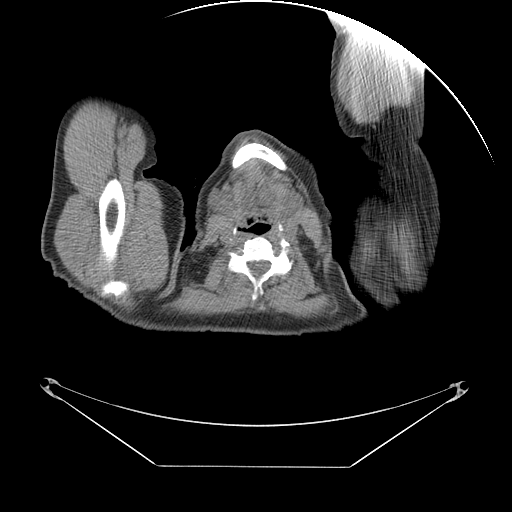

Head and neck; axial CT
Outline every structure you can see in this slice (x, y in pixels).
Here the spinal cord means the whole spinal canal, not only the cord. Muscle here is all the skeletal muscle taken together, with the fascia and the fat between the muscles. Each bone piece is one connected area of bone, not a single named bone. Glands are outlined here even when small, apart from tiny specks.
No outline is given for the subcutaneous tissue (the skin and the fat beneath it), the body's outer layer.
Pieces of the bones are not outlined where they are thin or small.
The muscle appears in 4 outlined pieces: piece 1: 249,134 257,134 262,136 276,148 285,153 289,157 293,170 311,195 313,203 323,223 323,230 327,241 329,255 328,283 337,299 337,313 334,316 300,319 284,313 272,315 264,312 243,314 226,313 210,316 186,316 165,314 161,310 163,306 177,294 184,264 194,253 193,252 202,237 207,211 208,194 213,185 226,170 229,155 236,142 242,136; inner edges: 256,235 262,235 269,240 274,248 278,248 281,237 284,238 290,244 289,257 293,263 286,274 272,275 265,280 262,283 263,293 253,300 252,282 245,274 229,270 227,265 230,258 228,252 241,248 247,239, then 249,142 256,142 257,143 263,144 275,151 285,162 287,165 287,168 285,170 281,170 269,162 258,157 252,157 242,163 238,167 236,168 233,168 231,165 231,161 234,154 242,145 244,145, then 214,192 223,192 223,193 225,195 225,199 226,200 226,203 225,204 225,205 224,205 223,206 223,207 218,207 217,208 214,208 213,207 210,207 210,206 208,203 208,201 209,200 209,198 210,197 210,196, then 257,222 263,222 264,223 266,223 269,225 269,228 268,229 267,229 265,231 264,231 261,233 257,233 256,232 254,232 253,231 250,231 248,229 249,228 249,227 250,226 251,226 252,225 252,224 254,224, then 292,191 295,191 296,192 297,192 298,193 299,193 301,195 301,201 300,201 298,203 294,203 291,200 291,199 290,198 290,194 291,193 291,192; piece 2: 88,101 109,104 131,115 141,124 147,143 145,155 136,166 136,178 156,185 166,205 164,221 169,234 168,281 137,310 124,310 111,305 81,287 62,266 53,244 56,222 70,184 63,157 64,135 74,112, around holes outlined by 112,178 117,178 122,187 124,200 125,201 125,221 124,222 123,235 121,237 120,242 118,245 118,253 114,263 114,267 111,273 106,273 99,264 100,236 99,235 99,210 98,208 99,207 99,197 107,182 and by 110,278 112,278 115,280 122,280 126,282 128,284 129,286 128,287 128,291 126,294 126,297 124,301 122,302 116,302 114,299 114,297 112,295 111,295 109,297 101,297 99,295 98,293 101,288 101,285; piece 3: 354,19 388,36 403,46 407,51 408,63 415,79 415,101 410,108 409,113 401,116 391,123 376,125 375,127 364,125 356,123 343,111 343,105 336,79 336,73 348,38 348,33 352,24 352,21; piece 4: 379,216 389,216 403,223 406,223 412,230 417,241 423,247 421,281 412,287 406,282 402,273 389,254 382,250 371,265 364,266 359,262 358,249 360,246 360,240 363,232 366,229 366,227 371,225 374,219. The left arm is outlined by 334,14 381,32 425,65 420,145 439,190 439,246 426,290 377,317 373,305 355,291 346,259 351,215 361,197 376,186 377,176 376,165 360,150 362,139 344,135 334,114 329,73 336,33 328,16. The spinal cord is outlined by 252,261 269,261 270,262 270,266 269,267 269,268 266,271 265,271 263,273 262,273 260,275 257,275 256,274 255,274 254,273 253,273 252,272 252,271 250,269 250,268 248,266 248,262 251,262. The head and neck is outlined by 249,129 260,129 267,132 286,145 302,152 313,161 317,170 320,191 333,219 331,226 333,258 325,294 318,310 297,336 223,332 204,306 195,282 193,239 197,194 202,183 218,164 225,146 238,132, around a hole outlined by 257,222 263,222 264,223 266,223 269,225 269,228 268,229 267,229 265,231 264,231 261,233 257,233 256,232 254,232 253,231 250,231 248,229 249,228 249,227 250,226 251,226 252,225 252,224 254,224. The bones appear in 4 outlined pieces: piece 1: 256,235 262,235 269,240 274,248 278,248 281,237 284,238 290,244 289,257 293,263 286,274 272,275 265,280 262,283 263,293 253,300 252,282 245,274 229,270 227,265 230,258 228,252 241,248 247,239 with a hole at 252,261 269,261 270,262 270,266 269,267 269,268 266,271 265,271 263,273 262,273 260,275 257,275 256,274 255,274 254,273 253,273 252,272 252,271 250,269 250,268 248,266 248,262 251,262; piece 2: 112,178 117,178 122,187 124,200 125,201 125,221 124,222 123,235 121,237 120,242 118,245 118,253 114,263 114,267 111,273 106,273 99,264 100,236 99,235 99,210 98,208 99,207 99,197 107,182; piece 3: 249,142 256,142 257,143 263,144 275,151 285,162 287,165 287,168 285,170 281,170 269,162 258,157 252,157 242,163 238,167 236,168 233,168 231,165 231,161 234,154 242,145 244,145; piece 4: 110,278 112,278 115,280 122,280 126,282 128,284 129,286 128,287 128,291 126,294 126,297 124,301 122,302 116,302 114,299 114,297 112,295 111,295 109,297 101,297 99,295 98,293 101,288 101,285. The right arm is outlined by 90,91 105,92 124,99 147,117 156,136 154,148 157,162 145,169 143,174 176,185 183,195 186,216 183,248 166,292 150,304 113,315 83,299 63,280 54,277 40,251 41,228 51,192 58,126 68,106. The submandibular glands appear in 2 outlined pieces: piece 1: 214,192 223,192 223,193 225,195 225,199 226,200 226,203 225,204 225,205 224,205 223,206 223,207 218,207 217,208 214,208 213,207 210,207 210,206 208,203 208,201 209,200 209,198 210,197 210,196; piece 2: 292,191 295,191 296,192 297,192 298,193 299,193 301,195 301,201 300,201 298,203 294,203 291,200 291,199 290,198 290,194 291,193 291,192. The torso appears in 2 outlined pieces: piece 1: 192,240 192,265 196,290 206,311 222,332 206,331 196,333 174,333 173,332 164,333 155,331 145,331 124,325 116,321 110,316 150,305 162,297 169,289 171,282 174,278 175,266 177,260 182,253 183,249; piece 2: 334,256 341,265 345,274 347,276 348,282 351,289 355,292 354,293 357,297 376,317 371,317 362,324 353,328 346,328 339,333 303,334 298,336 305,326 319,310 319,308 324,300 327,287 331,277 332,263.